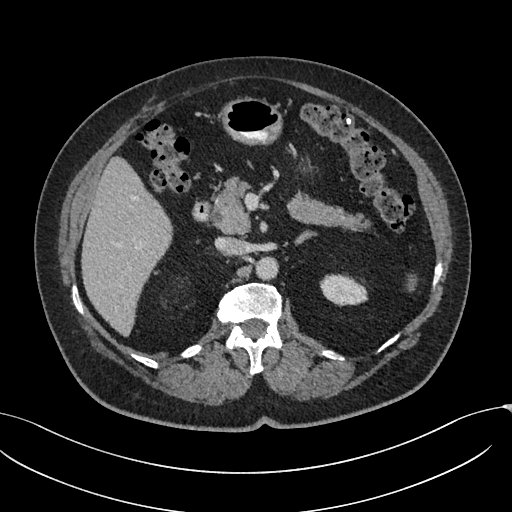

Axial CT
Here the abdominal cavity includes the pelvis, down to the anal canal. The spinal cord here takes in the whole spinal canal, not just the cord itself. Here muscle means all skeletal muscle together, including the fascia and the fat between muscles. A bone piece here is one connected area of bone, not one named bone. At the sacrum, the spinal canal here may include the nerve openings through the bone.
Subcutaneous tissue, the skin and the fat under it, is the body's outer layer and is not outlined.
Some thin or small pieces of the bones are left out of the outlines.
abdominal cavity: 252 78; 291 85; 351 112; 385 136; 415 174; 434 246; 430 292; 421 311; 376 349; 346 356; 327 348; 300 331; 290 301; 274 284; 259 281; 224 292; 207 332; 180 351; 143 353; 120 343; 82 301; 76 250; 106 160; 165 109
spinal cord: 252 318; 261 319; 263 321; 267 323; 267 325; 265 328; 265 331; 264 333; 262 335; 254 339; 247 335; 245 335; 244 333; 244 331; 243 330; 243 328; 242 327; 242 323; 243 323; 246 320; 248 320
muscle: 241 74; 265 74; 304 82; 335 94; 354 105; 358 106; 375 118; 394 134; 399 136; 417 152; 426 162; 439 182; 447 201; 450 225; 452 229; 453 247; 451 260; 448 267; 448 272; 443 284; 444 290; 442 298; 437 310; 421 325; 419 329; 421 334; 415 345; 406 350; 403 350; 398 355; 393 357; 374 374; 364 380; 360 384; 328 398; 319 397; 307 401; 299 401; 296 399; 291 399; 287 396; 280 396; 270 389; 266 382; 259 375; 253 379; 250 387; 244 395; 238 399; 235 399; 228 403; 217 406; 190 402; 164 393; 145 383; 138 377; 131 374; 123 367; 112 360; 104 357; 92 348; 85 331; 79 325; 77 321; 75 312; 70 304; 70 300; 68 296; 69 290; 64 286; 61 278; 60 266; 57 254; 58 244; 57 238; 62 203; 70 182; 76 173; 86 163; 90 157; 103 145; 127 119; 137 113; 143 106; 155 104; 161 100; 166 99; 174 94; 182 92; 188 88; 197 87; 202 84; 205 84; 220 78; inner edges: 252 78; 291 85; 351 112; 385 136; 415 174; 434 261; 441 260; 442 272; 421 311; 378 353; 373 348; 344 361; 320 356; 318 352; 327 348; 300 331; 285 298; 278 320; 282 345; 264 348; 263 369; 251 375; 248 352; 240 346; 226 347; 231 324; 214 314; 196 342; 203 348; 183 358; 175 349; 143 353; 124 345; 83 302; 84 315; 73 303; 76 250; 106 160; 165 109; 219 84, then 129 351; 132 351; 133 352; 135 352; 139 354; 141 356; 143 356; 144 357; 146 357; 147 358; 149 358; 150 359; 152 359; 156 361; 159 365; 158 368; 156 369; 154 368; 151 368; 143 364; 141 362; 136 360; 130 355; 129 353
bones 1: 249 282; 274 285; 282 296; 282 311; 278 320; 282 345; 280 348; 267 346; 263 349; 261 353; 263 369; 253 375; 249 372; 250 358; 248 352; 240 346; 228 349; 225 345; 231 324; 222 323; 216 316; 218 302; 223 294; 237 285; inner edge: 252 318; 261 319; 263 321; 267 323; 267 325; 265 328; 265 331; 264 333; 262 335; 254 339; 247 335; 245 335; 244 333; 244 331; 243 330; 243 328; 242 327; 242 323; 243 323; 246 320; 248 320
bones 2: 73 283; 75 283; 77 285; 77 288; 79 292; 79 295; 80 296; 80 298; 81 299; 81 301; 83 305; 83 309; 84 310; 84 315; 82 315; 78 312; 78 311; 76 309; 73 303; 73 301; 72 300; 72 296; 71 295; 71 286
bones 3: 129 351; 132 351; 133 352; 135 352; 139 354; 141 356; 143 356; 144 357; 146 357; 147 358; 149 358; 150 359; 152 359; 156 361; 159 365; 158 368; 156 369; 154 368; 151 368; 143 364; 141 362; 136 360; 130 355; 129 353
bones 4: 196 343; 200 343; 202 345; 202 346; 203 347; 203 348; 200 351; 200 352; 199 353; 198 353; 193 356; 191 356; 190 357; 188 357; 187 358; 183 358; 180 356; 180 352; 182 350; 183 350; 188 346; 190 346; 191 345; 193 345
bones 5: 323 349; 330 349; 331 350; 333 350; 335 352; 345 356; 346 359; 344 361; 341 361; 340 360; 338 360; 337 359; 330 359; 329 358; 327 358; 326 357; 324 357; 323 356; 320 356; 318 354; 318 352
bones 6: 439 260; 441 260; 441 261; 442 262; 442 272; 441 273; 441 275; 439 278; 439 280; 438 281; 438 282; 435 287; 435 289; 432 291; 431 290; 431 287; 432 286; 432 279; 433 278; 433 274; 434 273; 434 267; 435 266; 436 263
bones 7: 398 331; 400 331; 400 335; 399 336; 399 337; 392 344; 391 344; 390 345; 389 345; 387 347; 386 347; 383 350; 382 350; 380 352; 379 352; 378 353; 375 353; 375 351; 384 342; 385 342; 389 338; 390 338; 394 334; 395 334
torso: 248 55; 296 57; 347 70; 386 90; 428 127; 453 165; 469 213; 471 271; 461 319; 443 359; 419 389; 343 420; 220 432; 122 415; 98 403; 78 383; 43 310; 34 265; 34 224; 45 178; 69 136; 111 97; 187 64